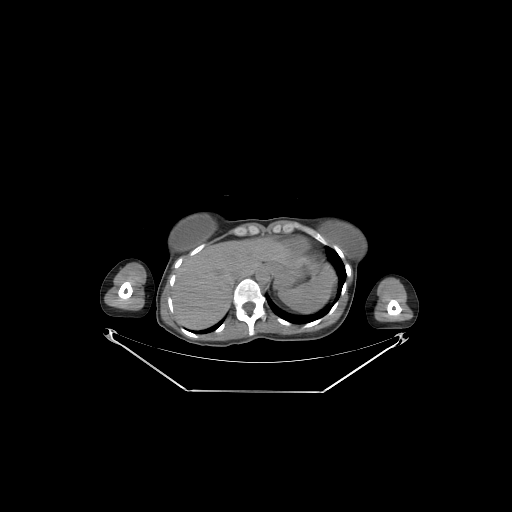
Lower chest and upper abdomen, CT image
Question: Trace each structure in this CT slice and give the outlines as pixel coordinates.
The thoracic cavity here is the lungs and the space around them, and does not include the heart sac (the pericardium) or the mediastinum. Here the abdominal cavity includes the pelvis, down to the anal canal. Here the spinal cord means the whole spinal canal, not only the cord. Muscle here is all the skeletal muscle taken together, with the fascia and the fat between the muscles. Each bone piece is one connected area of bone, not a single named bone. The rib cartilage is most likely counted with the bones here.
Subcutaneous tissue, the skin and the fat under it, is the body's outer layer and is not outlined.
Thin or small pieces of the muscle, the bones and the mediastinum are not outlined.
Answer: Outlines:
left arm: [[388,273],[397,273],[404,276],[411,282],[416,291],[416,293],[419,299],[419,313],[415,323],[410,327],[408,327],[404,329],[374,329],[370,326],[367,322],[366,316],[365,315],[365,310],[364,309],[364,305],[365,304],[366,298],[376,281],[380,277]]
right arm: [[129,257],[134,257],[141,259],[147,264],[152,273],[154,280],[154,284],[155,285],[154,287],[153,300],[149,311],[146,315],[138,319],[115,318],[114,317],[111,317],[104,313],[101,309],[99,303],[99,289],[104,277],[109,270],[116,263],[122,259]]
torso: [[199,210],[214,210],[235,220],[329,214],[340,216],[359,226],[367,237],[369,250],[358,266],[353,301],[343,323],[333,333],[316,340],[275,341],[258,338],[227,347],[190,344],[165,331],[155,319],[154,295],[168,260],[166,237],[171,226],[179,218]]
breast implant 1: [[200,213],[207,215],[213,220],[217,225],[216,230],[205,241],[198,244],[196,246],[186,250],[172,253],[170,251],[170,247],[169,246],[169,241],[168,239],[169,238],[170,231],[173,226],[178,221],[183,219],[187,216],[190,216],[195,214],[199,214]]
breast implant 2: [[331,220],[336,220],[337,221],[351,225],[360,231],[363,234],[363,236],[366,241],[366,247],[365,248],[365,251],[363,256],[359,260],[349,259],[336,243],[332,243],[328,241],[319,234],[319,231],[320,230],[321,225],[324,222],[326,221],[330,221]]
bones 1: [[245,278],[252,278],[259,284],[261,291],[267,302],[267,304],[264,305],[266,311],[266,317],[264,320],[262,318],[258,318],[254,322],[253,335],[249,335],[248,325],[244,321],[237,319],[235,314],[235,307],[233,304],[234,289],[236,285]] with a hole at [[246,302],[252,302],[254,304],[254,307],[253,308],[253,309],[252,310],[252,311],[251,312],[251,313],[250,313],[249,314],[243,308],[243,305]]
bones 2: [[287,223],[297,223],[301,226],[305,226],[313,229],[330,245],[336,245],[343,253],[344,259],[343,260],[331,246],[321,243],[309,234],[298,228],[295,228],[289,233],[285,233],[282,231],[275,233],[273,231],[273,228],[276,225],[282,226]]
bones 3: [[251,225],[253,225],[254,226],[257,227],[259,229],[259,233],[258,233],[257,234],[255,234],[254,235],[242,235],[241,236],[240,236],[239,235],[235,235],[234,234],[234,229],[236,227],[245,227],[246,228],[247,228],[249,226],[250,226]]
bones 4: [[124,281],[129,281],[130,282],[130,283],[131,284],[131,286],[132,287],[132,293],[131,294],[131,295],[128,298],[127,298],[126,299],[123,299],[122,298],[121,298],[118,295],[118,290],[119,289],[119,288],[120,287],[120,286],[121,285],[121,284]]
bones 5: [[390,299],[396,299],[397,300],[397,301],[398,302],[398,303],[400,305],[400,306],[401,307],[401,311],[397,315],[390,315],[389,314],[388,314],[388,313],[387,312],[387,304],[388,303],[388,302],[390,300]]
bones 6: [[337,300],[339,301],[338,305],[336,307],[334,311],[329,316],[324,318],[318,323],[312,326],[306,327],[305,328],[303,328],[302,327],[302,326],[304,324],[308,322],[311,322],[314,320],[316,320],[324,316],[329,311],[329,310],[331,308],[333,304]]
bones 7: [[181,327],[183,327],[184,328],[187,329],[189,331],[191,331],[192,332],[193,332],[194,333],[197,334],[198,335],[198,338],[192,338],[191,337],[189,337],[188,336],[185,335],[183,333],[182,333],[181,332],[181,331],[180,330]]
bones 8: [[345,262],[346,263],[348,263],[350,265],[350,266],[351,267],[351,276],[350,277],[347,277],[347,275],[346,274],[346,270],[345,269],[345,265],[344,264],[344,263]]
bones 9: [[277,316],[278,317],[280,317],[281,318],[282,318],[283,319],[284,319],[285,320],[286,320],[287,321],[288,321],[289,322],[292,323],[291,324],[291,325],[290,325],[289,326],[287,326],[284,324],[282,324],[281,323],[280,323],[277,320]]
bones 10: [[169,296],[170,296],[171,297],[171,299],[172,300],[172,304],[173,305],[173,310],[174,311],[174,312],[173,313],[172,313],[170,311],[170,310],[169,309],[169,306],[168,305],[168,302],[167,301],[167,298]]
bones 11: [[202,244],[205,244],[205,246],[204,247],[203,247],[199,251],[198,251],[196,253],[195,253],[194,254],[193,254],[192,255],[189,255],[189,253],[191,251],[192,251],[194,249],[195,249],[197,247],[198,247],[199,246],[200,246]]
bones 12: [[179,257],[182,257],[182,261],[181,262],[181,263],[180,264],[180,265],[177,268],[175,268],[174,267],[174,263],[175,262],[175,261]]
bones 13: [[345,281],[346,281],[346,290],[345,291],[345,292],[344,293],[344,294],[342,296],[340,296],[340,294],[341,293],[341,289],[342,288],[342,286],[343,285],[343,284],[344,283],[344,282]]
bones 14: [[223,322],[224,322],[225,323],[225,325],[224,326],[224,327],[223,328],[223,329],[221,331],[220,331],[219,332],[214,332],[214,331]]
abdominal cavity: [[295,231],[307,234],[335,269],[338,282],[331,302],[315,313],[290,313],[280,308],[268,294],[264,294],[255,279],[245,277],[235,285],[231,307],[224,319],[198,330],[181,325],[174,313],[171,295],[176,270],[184,259],[231,235],[241,237],[289,234]]
mediastinum: [[308,235],[309,235],[312,238],[313,238],[321,244],[324,245],[324,252],[325,253],[325,255],[324,256],[322,252],[320,251],[320,250],[318,249],[317,247],[316,247],[316,244],[314,243],[312,239]]
spinal cord: [[246,302],[252,302],[254,304],[254,307],[253,308],[253,309],[252,310],[252,311],[251,312],[251,313],[250,313],[249,314],[243,308],[243,305]]
muscle 1: [[130,262],[136,262],[140,264],[144,268],[146,272],[146,281],[143,286],[145,293],[145,296],[144,297],[145,302],[143,307],[139,310],[125,310],[124,309],[115,308],[107,305],[104,302],[104,295],[113,285],[113,278],[122,267],[127,263]] with a hole at [[124,281],[129,281],[130,282],[130,283],[131,284],[131,286],[132,287],[132,293],[131,294],[131,295],[128,298],[127,298],[126,299],[123,299],[122,298],[121,298],[118,295],[118,290],[119,289],[119,288],[120,287],[120,286],[121,285],[121,284]]
muscle 2: [[352,269],[352,280],[348,289],[347,302],[341,315],[335,322],[329,326],[312,332],[303,332],[294,334],[259,332],[255,334],[254,329],[255,322],[258,319],[262,319],[264,321],[267,317],[267,311],[265,305],[268,305],[276,315],[276,320],[280,324],[287,327],[291,326],[292,324],[303,324],[301,327],[305,329],[312,327],[329,317],[339,305],[340,302],[339,298],[342,297],[347,290],[346,278],[350,278],[352,276]]
muscle 3: [[388,277],[393,277],[398,279],[405,288],[405,290],[407,294],[407,304],[413,312],[413,316],[408,320],[404,320],[403,321],[385,321],[383,322],[382,321],[378,321],[375,319],[374,317],[374,309],[378,299],[378,296],[377,295],[377,288],[381,281]], around a hole outlined by [[390,299],[396,299],[397,300],[397,301],[398,302],[398,303],[400,305],[400,306],[401,307],[401,311],[397,315],[390,315],[389,314],[388,314],[388,313],[387,312],[387,304],[388,303],[388,302],[390,300]]
muscle 4: [[232,304],[234,307],[234,314],[236,319],[239,321],[244,322],[247,325],[249,336],[228,340],[199,340],[198,339],[193,339],[198,339],[199,334],[206,334],[210,332],[214,333],[221,332],[226,325],[226,323],[224,321],[230,311],[230,308],[232,307]]
muscle 5: [[173,263],[173,267],[176,269],[175,270],[175,273],[172,273],[170,275],[168,280],[168,283],[171,287],[171,294],[166,298],[166,301],[169,311],[172,314],[175,315],[177,321],[181,326],[179,329],[181,333],[166,324],[163,321],[160,314],[160,297]]
muscle 6: [[280,220],[297,222],[287,222],[282,225],[276,224],[272,228],[272,231],[274,233],[270,234],[268,233],[261,234],[260,233],[260,229],[253,224],[251,224],[247,227],[245,226],[237,226],[245,223],[258,223],[264,226],[267,226],[272,222]]
muscle 7: [[232,228],[234,228],[233,229],[233,234],[225,236],[220,239],[218,239],[215,241],[213,241],[211,243],[209,243],[207,245],[206,245],[206,244],[204,243],[207,242],[209,240],[211,240],[218,236],[220,236],[224,234],[226,232],[227,232],[228,230]]
muscle 8: [[188,253],[188,255],[187,256],[187,257],[186,257],[185,258],[184,258],[183,259],[183,257],[182,256],[179,256],[175,260],[175,259],[178,256],[179,256],[180,255],[184,255],[185,254],[187,254]]
thoracic cavity 1: [[325,246],[331,247],[337,253],[344,265],[346,277],[341,286],[338,299],[332,304],[324,315],[305,323],[293,323],[278,316],[269,306],[265,294],[268,295],[280,309],[294,315],[305,316],[315,314],[333,301],[338,290],[339,278],[336,269],[326,256]]
thoracic cavity 2: [[222,320],[224,320],[213,331],[210,331],[209,332],[207,332],[206,333],[199,333],[198,334],[191,330],[189,330],[193,330],[194,331],[198,331],[199,330],[204,330],[205,329],[207,329],[208,328],[213,326],[215,324],[216,324],[218,322],[219,322]]